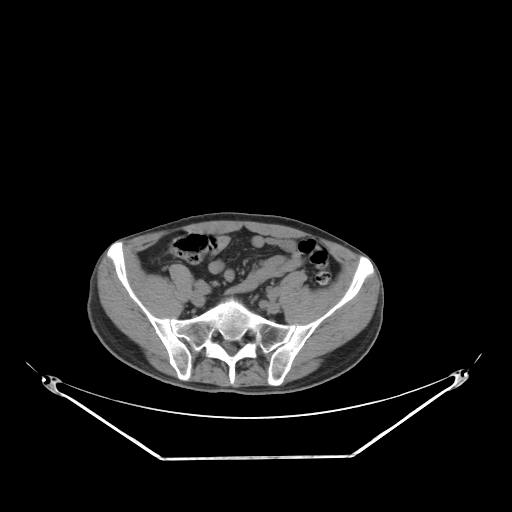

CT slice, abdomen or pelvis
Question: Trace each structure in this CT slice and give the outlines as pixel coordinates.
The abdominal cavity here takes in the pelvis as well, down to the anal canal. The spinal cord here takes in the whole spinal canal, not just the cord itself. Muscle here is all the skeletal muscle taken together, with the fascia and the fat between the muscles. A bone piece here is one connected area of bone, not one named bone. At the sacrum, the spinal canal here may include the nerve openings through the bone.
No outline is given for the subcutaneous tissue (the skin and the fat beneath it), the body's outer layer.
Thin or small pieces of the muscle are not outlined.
Answer: The spinal cord appears in 2 outlined pieces: piece 1: 247,331 251,331 254,334 253,339 249,343 245,343 242,346 240,346 234,354 232,354 231,355 229,354 223,347 222,343 224,341 229,341 230,342 235,342 236,341 237,342 240,342 245,337 245,333; piece 2: 215,332 218,332 219,333 220,333 223,336 223,339 220,342 215,342 212,339 212,335. The torso is outlined by 218,211 267,213 295,218 342,238 367,253 374,260 384,284 383,321 374,344 355,366 329,381 296,392 266,395 210,393 174,386 148,376 114,357 99,342 89,325 86,301 89,278 100,253 122,236 189,215. The bones are outlined by 117,240 133,292 159,318 190,318 234,297 269,320 303,325 342,297 361,255 374,271 354,297 316,327 280,385 268,384 271,354 260,349 256,357 236,363 232,385 224,361 191,349 191,375 183,381 107,256; inner edges: 247,331 251,331 254,334 253,339 249,343 245,343 242,346 240,346 234,354 232,354 231,355 229,354 223,347 222,343 224,341 229,341 230,342 235,342 236,341 237,342 240,342 245,337 245,333, then 215,332 218,332 219,333 220,333 223,336 223,339 220,342 215,342 212,339 212,335. The abdominal cavity is outlined by 243,227 275,238 312,240 340,265 334,280 327,287 311,288 304,283 304,270 285,275 279,292 285,323 261,315 234,296 180,318 192,291 192,273 181,263 169,266 169,277 147,272 138,253 177,231 217,235. The muscle appears in 4 outlined pieces: piece 1: 212,220 285,225 333,241 360,255 348,286 332,306 307,323 286,323 280,303 281,282 285,276 294,270 302,270 307,275 304,284 311,289 322,289 335,280 341,269 341,265 321,245 307,237 275,237 244,226 217,234 177,230 164,235 137,253 141,267 147,273 169,278 170,266 181,264 193,277 189,298 179,318 159,317 148,309 129,282 122,240; piece 2: 375,269 380,283 379,285 379,293 374,313 366,327 352,339 326,355 324,361 316,370 301,378 281,385 284,382 285,377 290,371 294,359 317,327 324,320 332,315 335,311 354,298 361,289 365,280 374,273; piece 3: 105,253 106,256 111,260 116,276 125,289 128,296 138,306 147,318 164,346 168,356 168,362 173,368 177,378 163,373 152,366 145,358 141,349 126,335 121,332 106,315 99,301 97,289 97,269; piece 4: 191,350 196,353 203,350 204,355 207,358 224,362 227,365 228,381 231,386 235,382 236,365 240,360 256,358 258,356 257,350 260,350 264,355 270,354 266,370 266,381 268,385 233,387 189,381 193,368.